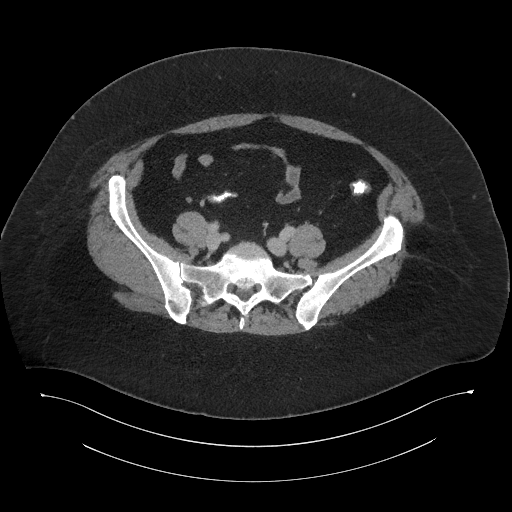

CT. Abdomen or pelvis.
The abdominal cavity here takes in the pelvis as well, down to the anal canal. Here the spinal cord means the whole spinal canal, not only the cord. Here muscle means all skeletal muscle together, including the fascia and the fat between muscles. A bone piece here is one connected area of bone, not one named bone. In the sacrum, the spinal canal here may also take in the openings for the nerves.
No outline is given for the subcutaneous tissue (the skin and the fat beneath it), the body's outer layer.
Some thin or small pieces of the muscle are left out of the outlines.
{"abdominal_cavity":[[[269,117],[357,144],[385,170],[378,223],[361,243],[319,265],[326,240],[306,221],[288,244],[297,272],[278,269],[260,244],[244,239],[199,265],[192,259],[209,233],[201,213],[183,211],[171,225],[185,252],[143,225],[133,190],[147,150],[170,134]]],"muscle":[[[271,111],[313,118],[346,131],[375,147],[407,175],[424,206],[425,217],[423,223],[413,226],[407,232],[406,248],[409,255],[403,261],[394,284],[341,323],[312,328],[318,322],[324,305],[346,280],[401,249],[404,228],[401,220],[389,212],[382,218],[374,241],[352,261],[337,269],[319,273],[314,278],[309,273],[298,272],[299,258],[291,253],[289,246],[298,226],[306,222],[319,228],[325,240],[325,249],[315,260],[319,266],[324,265],[361,244],[372,233],[379,223],[377,198],[391,183],[391,179],[380,163],[361,145],[292,127],[269,116],[211,131],[170,133],[142,154],[142,175],[132,190],[142,225],[185,253],[186,247],[177,242],[172,233],[176,218],[183,212],[196,211],[207,222],[206,245],[198,251],[196,258],[191,259],[191,263],[172,259],[154,249],[142,237],[127,208],[126,178],[120,173],[114,173],[108,178],[108,213],[149,262],[163,293],[164,308],[173,321],[121,306],[110,295],[112,282],[95,265],[87,249],[89,205],[96,192],[88,191],[92,174],[114,153],[166,130],[217,115]],[[191,284],[200,291],[198,302],[202,307],[223,300],[236,308],[240,314],[240,331],[244,328],[245,318],[258,304],[269,301],[278,305],[294,292],[302,291],[295,303],[294,316],[303,332],[267,336],[242,331],[216,333],[188,326],[187,317],[193,302]]],"spinal_cord":[[[231,284],[234,285],[236,287],[240,287],[246,290],[248,289],[250,289],[255,285],[260,285],[260,287],[258,289],[258,290],[256,291],[256,292],[253,292],[248,297],[247,299],[244,300],[240,298],[240,297],[236,294],[231,294],[227,292],[227,286]]],"torso":[[[226,46],[307,51],[369,67],[423,96],[456,127],[481,168],[508,253],[508,297],[491,353],[475,361],[437,368],[348,405],[263,420],[186,413],[134,398],[73,372],[27,367],[8,319],[0,271],[1,232],[23,187],[63,124],[102,87],[167,56]]],"bones":[{"outer":[[114,174],[125,178],[135,229],[175,261],[211,265],[252,241],[278,270],[314,279],[361,255],[389,213],[402,225],[401,247],[346,279],[307,331],[295,316],[302,290],[258,303],[240,330],[236,307],[202,306],[192,283],[180,324],[150,262],[109,213]],"hole":[[231,284],[234,285],[236,287],[240,287],[246,290],[248,289],[250,289],[255,285],[260,285],[260,287],[258,289],[258,290],[256,291],[256,292],[253,292],[248,297],[247,299],[244,300],[240,298],[240,297],[236,294],[231,294],[227,292],[227,286]]}]}